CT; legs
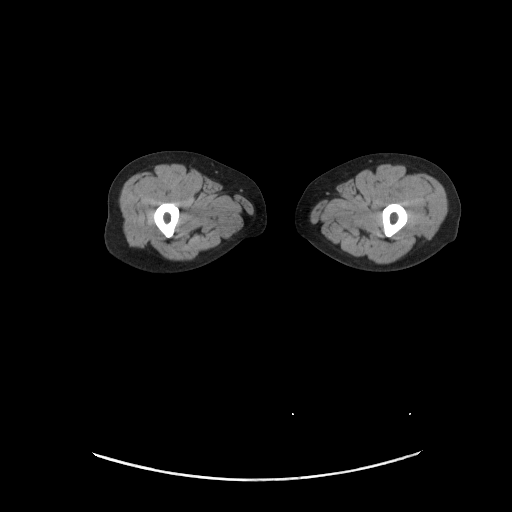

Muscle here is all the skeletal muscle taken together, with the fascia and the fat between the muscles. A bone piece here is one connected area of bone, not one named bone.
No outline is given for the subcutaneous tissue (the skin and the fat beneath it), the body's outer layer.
Outlined structures:
muscle 1: 379,161 406,163 419,169 434,174 442,182 448,200 447,215 433,238 421,249 414,252 404,260 389,267 369,266 365,264 355,262 347,258 328,242 310,223 308,218 310,205 323,193 346,179 354,172 374,162 with a hole at 388,204 399,204 406,210 406,211 408,214 407,221 406,222 405,225 403,227 402,227 396,233 395,233 392,236 391,236 390,237 386,237 385,236 385,235 384,234 384,232 383,231 383,226 382,225 382,210
muscle 2: 163,162 183,162 192,164 204,173 225,183 244,195 251,201 255,209 255,214 250,225 243,232 230,239 218,249 191,261 171,262 149,252 130,248 121,229 121,212 118,203 121,188 124,182 133,174 144,168 with a hole at 167,202 173,202 176,205 177,205 179,209 179,218 178,219 178,222 174,229 174,233 173,235 170,238 167,238 160,231 160,230 154,223 154,221 153,220 153,215 154,214 155,209 160,204 162,203 166,203
left leg: 375,152 407,153 432,161 441,167 450,177 456,188 461,203 461,216 455,240 446,245 427,260 403,270 391,272 370,272 346,266 315,248 297,232 294,225 294,213 296,205 304,189 312,180 341,163 361,155
right leg: 162,150 188,150 201,153 232,167 251,178 259,187 266,205 267,223 264,231 256,237 244,239 230,251 211,263 181,273 149,273 133,268 112,256 106,249 103,238 107,217 107,194 110,184 122,167 133,159
bones 1: 167,202 173,202 176,205 177,205 179,209 179,218 178,219 178,222 174,229 174,233 173,235 170,238 167,238 160,231 160,230 154,223 154,221 153,220 153,215 154,214 155,209 160,204 162,203 166,203
bones 2: 388,204 399,204 406,210 406,211 408,214 407,221 406,222 405,225 403,227 402,227 396,233 395,233 392,236 391,236 390,237 386,237 385,236 385,235 384,234 384,232 383,231 383,226 382,225 382,210